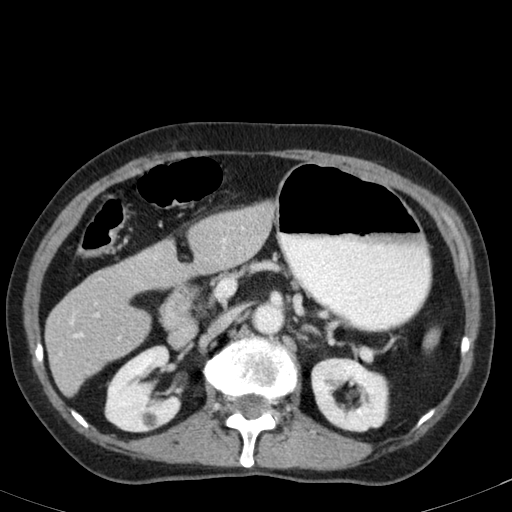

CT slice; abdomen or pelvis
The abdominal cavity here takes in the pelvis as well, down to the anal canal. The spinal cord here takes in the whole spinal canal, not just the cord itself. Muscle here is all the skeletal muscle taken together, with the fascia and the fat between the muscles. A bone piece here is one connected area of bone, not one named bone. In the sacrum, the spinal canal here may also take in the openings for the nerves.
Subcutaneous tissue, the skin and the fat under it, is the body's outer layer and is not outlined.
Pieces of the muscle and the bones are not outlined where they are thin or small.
{"spinal_cord":[[[247,394],[254,394],[255,395],[262,396],[267,400],[267,403],[269,405],[268,408],[266,410],[263,410],[261,412],[261,414],[255,418],[250,418],[249,419],[246,418],[241,413],[241,412],[239,410],[236,409],[233,405],[233,402],[236,397],[239,397]]],"abdominal_cavity":[[[192,155],[268,155],[338,167],[405,193],[433,219],[452,258],[464,326],[453,384],[407,431],[366,441],[322,425],[299,407],[294,350],[255,334],[230,340],[207,358],[203,405],[156,433],[129,438],[101,431],[58,394],[39,321],[52,258],[101,192]]],"torso":[[[188,121],[334,123],[365,128],[422,155],[465,198],[489,259],[496,319],[491,368],[473,411],[435,458],[417,473],[377,486],[298,482],[265,475],[120,483],[79,464],[25,400],[11,367],[5,298],[15,259],[29,230],[66,179],[92,157],[142,131]]],"muscle":[{"outer":[[292,148],[374,161],[441,195],[461,216],[474,255],[480,292],[480,324],[474,344],[472,368],[454,395],[447,412],[415,442],[353,467],[324,471],[297,467],[250,468],[255,463],[254,451],[259,434],[275,429],[282,420],[276,406],[281,398],[294,391],[298,382],[299,364],[299,409],[338,434],[373,442],[399,436],[413,426],[414,430],[417,429],[433,416],[435,406],[454,384],[460,359],[469,350],[471,339],[464,334],[465,308],[450,250],[434,219],[405,192],[345,168],[309,160],[268,154],[192,154],[157,162],[113,183],[87,205],[58,246],[43,276],[38,308],[40,341],[36,342],[34,356],[40,364],[43,362],[51,385],[70,407],[70,414],[80,425],[86,429],[90,424],[101,432],[115,434],[120,438],[141,438],[156,434],[195,413],[206,402],[204,383],[207,382],[226,400],[228,413],[224,425],[237,430],[241,436],[238,461],[242,467],[141,459],[107,449],[77,432],[44,393],[32,366],[23,325],[22,301],[29,268],[35,251],[57,215],[74,196],[94,181],[142,156],[175,150],[268,151]],"holes":[[[441,212],[444,212],[453,220],[454,224],[459,232],[459,234],[462,240],[462,243],[465,248],[465,251],[468,260],[468,268],[466,271],[463,271],[462,269],[462,265],[460,262],[460,259],[459,258],[458,243],[454,235],[449,229],[446,222],[442,217]],[[215,403],[216,403],[217,403],[218,404],[219,404],[220,405],[221,405],[222,406],[222,407],[222,408],[222,409],[221,409],[220,410],[219,410],[218,410],[217,410],[216,409],[215,409],[214,408],[213,408],[213,407],[213,406],[214,405],[214,404]]]}],"bones":[{"outer":[[251,335],[272,338],[293,350],[298,373],[293,391],[281,397],[275,406],[281,420],[275,428],[262,430],[258,434],[253,451],[254,463],[246,468],[239,461],[242,436],[237,429],[224,423],[229,413],[227,400],[206,381],[202,371],[205,361],[230,341]],"hole":[[247,394],[254,394],[255,395],[262,396],[267,400],[267,403],[269,405],[268,408],[266,410],[263,410],[261,412],[261,414],[255,418],[250,418],[249,419],[246,418],[241,413],[241,412],[239,410],[236,409],[233,405],[233,402],[236,397],[239,397]]},[[441,212],[444,212],[453,220],[454,224],[459,232],[459,234],[462,240],[462,243],[465,248],[465,251],[468,260],[468,268],[466,271],[463,271],[462,269],[462,265],[460,262],[460,259],[459,258],[458,243],[454,235],[449,229],[446,222],[442,217]],[[434,407],[435,408],[435,411],[432,415],[432,416],[431,417],[430,417],[427,420],[426,420],[423,423],[422,423],[417,428],[415,428],[414,429],[413,428],[414,427],[415,424],[417,422],[417,421],[426,412],[427,412],[431,408],[433,408]],[[71,408],[72,408],[74,410],[75,410],[77,412],[78,412],[85,419],[85,420],[88,423],[88,424],[89,425],[88,426],[88,427],[87,427],[86,428],[85,427],[84,427],[81,424],[80,424],[73,417],[73,416],[70,412],[70,410],[71,409]]]}